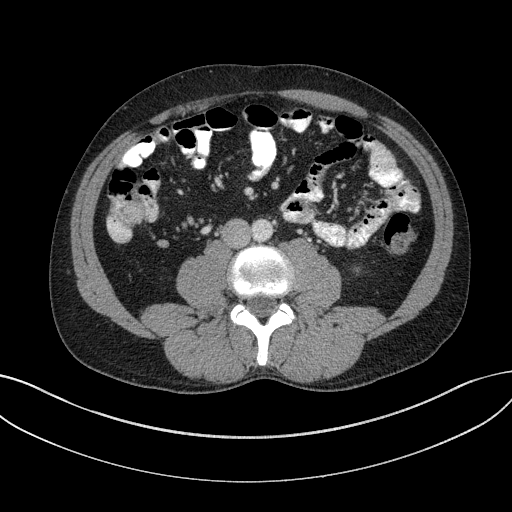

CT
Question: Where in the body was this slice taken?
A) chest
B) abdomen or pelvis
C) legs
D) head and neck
Answer: B) abdomen or pelvis
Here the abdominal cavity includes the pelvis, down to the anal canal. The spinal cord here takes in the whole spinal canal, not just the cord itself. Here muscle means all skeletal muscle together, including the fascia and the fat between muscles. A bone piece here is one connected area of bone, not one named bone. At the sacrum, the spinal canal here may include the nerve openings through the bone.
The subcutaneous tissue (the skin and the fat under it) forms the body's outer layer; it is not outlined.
Outlined structures:
muscle: [[216,384],[224,384],[237,381],[243,377],[245,377],[248,373],[254,371],[258,367],[263,369],[265,368],[275,369],[278,373],[284,377],[301,383],[309,383],[321,379],[330,379],[335,377],[349,369],[355,363],[359,358],[366,342],[397,327],[401,324],[405,323],[409,320],[413,319],[419,314],[420,311],[423,308],[432,301],[438,293],[440,286],[443,281],[444,273],[449,262],[452,251],[453,235],[454,234],[452,203],[442,172],[432,155],[402,125],[379,113],[370,113],[364,107],[343,97],[340,97],[330,93],[300,88],[290,88],[278,90],[247,89],[238,92],[232,92],[222,95],[215,95],[201,99],[196,99],[184,103],[180,103],[175,106],[165,109],[149,118],[147,121],[144,121],[125,129],[122,133],[112,140],[93,159],[86,168],[75,194],[70,218],[70,243],[71,244],[72,263],[73,269],[77,278],[76,284],[80,295],[84,301],[93,310],[108,317],[111,321],[124,329],[141,337],[159,340],[162,344],[165,355],[169,362],[176,370],[183,375],[191,379],[202,378],[206,381],[209,381]]; inner edge: [[262,366],[271,333],[295,318],[283,300],[292,288],[294,270],[277,247],[280,243],[303,238],[338,269],[342,290],[334,305],[371,305],[389,315],[427,258],[433,215],[421,174],[373,125],[347,112],[273,94],[250,94],[199,110],[132,141],[101,190],[94,244],[119,299],[138,317],[152,303],[187,304],[175,288],[180,265],[202,253],[209,239],[221,241],[234,256],[227,279],[239,298],[230,319],[256,336],[256,361]]
abdominal cavity: [[137,317],[152,303],[187,304],[175,288],[179,267],[209,239],[233,255],[254,243],[278,246],[297,237],[338,269],[342,290],[334,305],[371,305],[389,315],[431,247],[423,178],[373,125],[273,94],[232,98],[152,129],[120,154],[94,215],[99,259]]
torso: [[186,394],[225,391],[258,379],[312,391],[349,390],[424,362],[453,334],[469,292],[471,244],[466,206],[436,142],[390,95],[355,76],[315,64],[206,64],[140,90],[95,133],[68,180],[52,232],[48,287],[56,329],[68,351],[86,367],[130,385]]
bones: [[262,366],[267,362],[267,347],[271,333],[279,326],[291,323],[295,318],[293,310],[283,300],[292,288],[294,270],[290,260],[279,248],[254,244],[238,251],[230,262],[227,279],[239,300],[229,315],[234,324],[249,328],[256,336],[258,346],[256,361]]; inner edge: [[259,319],[265,319],[267,317],[268,317],[275,310],[275,306],[277,303],[276,301],[276,299],[275,298],[273,297],[267,297],[263,295],[257,295],[256,296],[251,297],[247,300],[246,302],[246,304],[248,308],[250,310],[250,311],[252,313],[253,313]]
spinal cord: [[259,319],[265,319],[267,317],[268,317],[275,310],[275,306],[277,303],[276,301],[276,299],[275,298],[273,297],[267,297],[263,295],[257,295],[256,296],[251,297],[247,300],[246,302],[246,304],[248,308],[250,310],[250,311],[252,313],[253,313]]